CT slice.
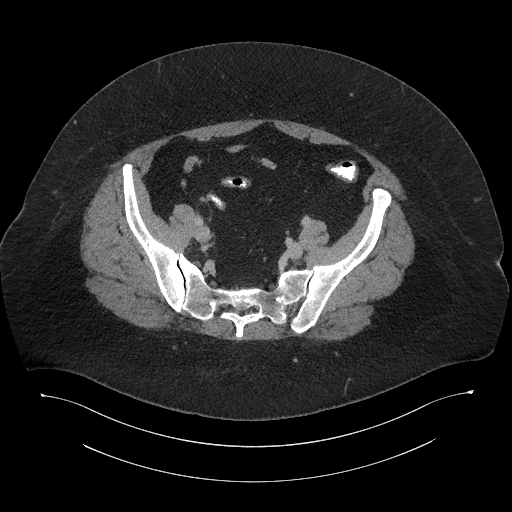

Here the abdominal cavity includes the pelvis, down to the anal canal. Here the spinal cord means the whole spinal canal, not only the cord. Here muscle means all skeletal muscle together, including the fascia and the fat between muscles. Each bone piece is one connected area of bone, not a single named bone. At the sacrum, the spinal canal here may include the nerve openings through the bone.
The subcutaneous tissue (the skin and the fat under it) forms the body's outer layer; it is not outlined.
Outlined structures:
torso: 246,40 307,45 360,59 414,87 454,123 482,169 504,242 500,264 509,289 501,327 488,356 440,367 340,407 261,421 183,413 132,398 71,372 27,368 4,302 0,240 61,128 94,93 141,63 189,47
abdominal cavity: 264,123 308,143 349,146 363,156 373,168 362,189 365,203 351,227 330,244 324,221 306,223 298,237 306,267 282,271 273,288 214,287 184,254 196,212 176,203 166,221 154,211 143,177 166,144 235,136
bones: 125,163 132,165 151,235 182,252 214,288 271,290 282,272 337,262 364,234 372,190 383,188 392,199 375,246 341,279 315,325 296,334 288,320 260,318 237,339 231,320 217,314 200,320 167,303 125,216; inner edge: 218,303 226,303 230,306 235,307 234,308 235,310 248,310 252,307 258,308 258,310 256,311 253,311 249,313 247,312 241,315 237,313 234,310 233,311 231,311 230,310 223,310 218,308 217,307 217,304
spinal cord: 218,303 226,303 230,306 235,307 234,308 235,310 248,310 252,307 258,308 258,310 256,311 253,311 249,313 247,312 241,315 237,313 234,310 233,311 231,311 230,310 223,310 218,308 217,307 217,304
muscle: 250,118 255,119 259,118 276,118 277,119 299,122 307,124 313,127 323,128 326,131 356,143 359,146 364,148 371,154 374,155 389,167 398,177 405,190 408,199 407,204 403,206 403,211 412,230 415,241 413,261 405,270 403,280 399,287 392,294 377,302 375,312 371,317 371,325 366,327 363,330 351,337 343,340 336,340 335,341 319,340 306,337 289,337 285,339 275,341 270,340 234,341 233,340 219,339 205,334 195,333 189,331 175,332 166,330 163,331 148,330 128,323 117,317 108,309 98,303 94,295 89,292 83,284 87,273 87,270 80,258 79,253 79,242 83,223 82,220 83,213 86,206 89,203 89,201 96,191 102,178 105,175 106,166 108,164 114,162 123,156 128,151 142,144 161,138 163,136 172,133 188,130 192,128 196,128 209,124 214,124 219,122 233,121 240,119 249,119 with a hole at 264,123 349,146 373,168 345,233 328,244 324,221 301,229 307,268 356,246 374,188 392,199 315,325 296,334 260,318 237,339 231,320 167,303 128,225 121,167 151,235 184,253 196,212 154,211 154,154